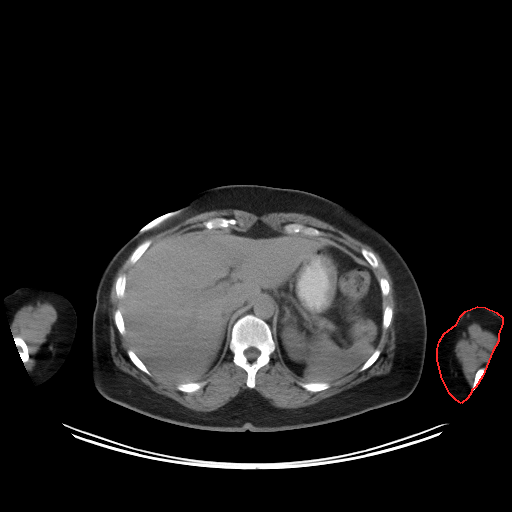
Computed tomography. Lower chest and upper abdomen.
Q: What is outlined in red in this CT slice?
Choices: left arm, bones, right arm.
A: red: left arm.
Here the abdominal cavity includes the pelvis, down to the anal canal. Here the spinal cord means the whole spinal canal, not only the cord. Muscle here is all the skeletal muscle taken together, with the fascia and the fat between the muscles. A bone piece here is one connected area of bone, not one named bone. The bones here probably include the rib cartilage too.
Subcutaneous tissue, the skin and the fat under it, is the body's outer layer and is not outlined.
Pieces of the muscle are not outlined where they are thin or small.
{"left_arm":[[[477,306],[485,307],[496,312],[502,317],[502,323],[498,334],[498,341],[492,351],[482,376],[475,387],[471,390],[471,392],[467,398],[461,403],[456,400],[450,394],[442,379],[437,360],[437,349],[439,341],[444,333],[456,324],[461,315],[465,311]]],"bones":[{"outer":[[250,314],[260,318],[268,325],[271,331],[271,336],[275,343],[275,350],[270,354],[269,362],[266,365],[262,366],[255,374],[255,386],[253,388],[249,388],[247,386],[246,384],[247,372],[233,362],[233,353],[229,348],[233,325],[239,318],[245,317]],"hole":[[250,347],[254,347],[255,348],[256,348],[259,351],[259,354],[258,355],[258,356],[255,359],[254,359],[253,360],[249,360],[245,356],[245,355],[244,354],[244,351],[246,349],[247,349],[248,348],[249,348]]},[[291,223],[294,223],[295,224],[301,224],[304,226],[312,227],[313,228],[315,228],[316,229],[320,230],[322,232],[323,232],[324,234],[323,235],[309,235],[308,234],[306,234],[302,232],[286,232],[284,231],[284,226],[286,224],[290,224]],[[213,218],[232,218],[236,221],[236,224],[234,225],[230,225],[228,227],[214,227],[213,228],[208,228],[207,227],[205,227],[203,226],[202,224],[203,222],[205,221],[207,221]],[[14,336],[16,336],[17,337],[20,337],[22,338],[22,339],[27,345],[27,349],[28,350],[28,354],[29,355],[29,358],[28,360],[24,363],[24,362],[20,357],[19,352],[17,350],[17,348],[16,346],[13,342],[13,337]],[[298,382],[311,382],[312,383],[316,383],[317,382],[327,382],[329,383],[330,385],[329,387],[326,389],[324,389],[323,390],[320,390],[319,391],[316,391],[315,392],[313,392],[312,391],[309,391],[303,388],[300,385],[298,384]],[[203,381],[206,381],[206,383],[201,388],[200,388],[198,390],[197,390],[194,392],[185,392],[184,391],[181,391],[180,390],[179,390],[176,387],[176,386],[177,385],[177,384],[178,384],[179,383],[188,383],[189,382],[198,382],[199,383],[201,383]],[[147,240],[150,240],[151,241],[151,243],[150,245],[147,248],[147,249],[145,250],[145,251],[141,255],[141,256],[133,264],[130,263],[129,261],[129,258],[132,254],[132,253],[134,251],[134,250],[140,244],[141,244],[143,242]],[[129,349],[130,350],[132,350],[135,353],[135,354],[141,360],[141,361],[149,370],[149,372],[151,374],[150,375],[148,375],[146,373],[145,373],[143,371],[142,371],[139,368],[138,368],[132,362],[132,361],[128,356],[128,354],[127,353],[127,351]],[[121,274],[125,274],[126,275],[126,279],[125,280],[125,288],[124,289],[124,292],[123,293],[123,296],[121,298],[118,298],[116,295],[116,290],[115,289],[115,283],[116,282],[116,280],[117,279],[117,278],[118,277],[118,276]],[[387,305],[389,305],[390,306],[391,306],[392,307],[392,318],[391,319],[391,321],[390,322],[390,323],[389,324],[389,325],[388,326],[388,327],[386,329],[383,329],[382,328],[382,316],[383,315],[383,310],[384,309],[384,307],[385,306],[386,306]],[[118,308],[119,308],[120,309],[120,311],[121,312],[121,315],[123,318],[123,322],[124,323],[124,327],[125,328],[125,333],[124,334],[124,335],[122,335],[119,332],[119,331],[115,324],[115,322],[114,321],[114,313],[115,312],[115,311]],[[362,248],[365,248],[366,249],[367,249],[368,250],[371,251],[375,255],[375,256],[377,259],[377,261],[378,262],[378,266],[377,267],[376,267],[375,268],[373,268],[371,266],[371,265],[370,264],[369,261],[362,255],[362,254],[361,253],[361,249]],[[376,349],[379,349],[380,350],[380,354],[379,355],[379,356],[377,358],[377,359],[369,367],[368,367],[366,369],[365,369],[364,370],[363,370],[362,371],[359,371],[359,368],[368,359],[368,358],[374,352],[374,351]],[[382,277],[383,277],[384,278],[385,278],[388,281],[388,283],[389,284],[389,286],[390,287],[390,288],[389,289],[389,292],[388,293],[388,294],[385,296],[383,296],[382,295],[382,293],[381,292],[381,289],[380,288],[380,284],[379,283],[379,280]],[[484,367],[485,367],[485,370],[484,371],[482,376],[480,378],[480,379],[476,384],[475,387],[473,389],[472,388],[472,386],[473,385],[473,383],[474,382],[474,379],[475,378],[475,374],[476,373],[476,372],[479,369],[480,369],[481,368],[483,368]]],"spinal_cord":[[[250,347],[254,347],[255,348],[256,348],[259,351],[259,354],[258,355],[258,356],[255,359],[254,359],[253,360],[249,360],[245,356],[245,355],[244,354],[244,351],[246,349],[247,349],[248,348],[249,348]]],"muscle":[[[220,209],[239,209],[258,216],[272,212],[302,213],[320,219],[370,246],[379,255],[391,277],[397,309],[394,318],[395,360],[389,371],[385,375],[372,376],[367,380],[318,402],[298,408],[276,407],[272,405],[268,399],[253,389],[256,386],[257,372],[270,362],[271,354],[275,351],[281,365],[300,381],[298,381],[297,384],[303,389],[313,393],[328,389],[331,385],[330,382],[338,380],[355,370],[358,369],[359,372],[362,372],[369,368],[381,354],[381,350],[377,348],[382,331],[389,327],[393,318],[393,307],[389,304],[384,306],[383,303],[383,297],[389,294],[391,287],[389,281],[385,277],[382,276],[378,279],[373,269],[379,266],[379,262],[376,255],[371,250],[362,247],[360,249],[360,254],[347,245],[324,235],[325,233],[320,229],[301,223],[286,223],[283,226],[283,230],[279,230],[261,220],[257,220],[247,229],[239,230],[229,227],[237,224],[234,218],[213,217],[203,221],[201,224],[202,226],[187,228],[178,233],[158,239],[153,243],[150,239],[140,243],[142,240],[188,217],[205,211]],[[131,253],[128,261],[133,265],[127,275],[125,273],[119,274],[114,283],[115,295],[120,299],[120,305],[113,313],[114,324],[118,332],[124,336],[128,346],[126,353],[131,362],[148,376],[154,374],[163,380],[176,384],[175,387],[181,392],[194,393],[207,383],[205,380],[226,359],[229,350],[232,353],[232,362],[246,372],[245,384],[247,389],[215,410],[196,411],[152,390],[115,365],[110,346],[109,297],[114,277]],[[35,301],[49,301],[50,302],[57,312],[57,325],[54,332],[40,353],[39,360],[37,365],[31,372],[28,372],[24,366],[24,364],[26,363],[30,358],[28,345],[22,337],[16,335],[12,335],[11,334],[10,332],[10,322],[12,317],[20,308]],[[474,322],[479,322],[481,323],[489,331],[495,334],[497,334],[498,335],[498,341],[492,351],[492,353],[486,366],[479,368],[475,372],[472,385],[470,385],[464,375],[461,364],[455,354],[455,352],[453,349],[453,346],[461,334],[467,327],[471,323]]],"abdominal_cavity":[[[257,221],[286,233],[331,238],[368,261],[383,304],[377,347],[357,369],[338,379],[301,381],[276,352],[271,330],[276,302],[258,297],[232,325],[225,359],[204,380],[174,383],[151,373],[125,338],[120,306],[132,266],[152,244],[187,229],[245,231]]],"right_arm":[[[22,286],[46,287],[59,292],[70,301],[75,309],[77,317],[77,328],[75,338],[63,365],[50,379],[40,385],[35,384],[26,370],[24,366],[24,362],[20,357],[19,352],[13,342],[14,336],[10,332],[10,324],[4,302],[4,297],[6,295]]],"mediastinum":[[[258,298],[269,298],[275,302],[275,312],[274,313],[274,317],[273,318],[272,328],[270,328],[269,327],[269,325],[263,319],[251,313],[245,316],[242,316],[241,315],[241,313],[243,311],[248,309],[252,305],[252,304],[253,304],[254,302],[258,299]]],"torso":[[[238,183],[300,189],[331,199],[367,222],[398,250],[419,287],[427,324],[421,377],[408,397],[315,426],[280,431],[239,432],[197,429],[162,421],[114,403],[96,390],[91,369],[91,318],[96,286],[108,261],[142,228],[167,213],[179,210],[197,192]]]}